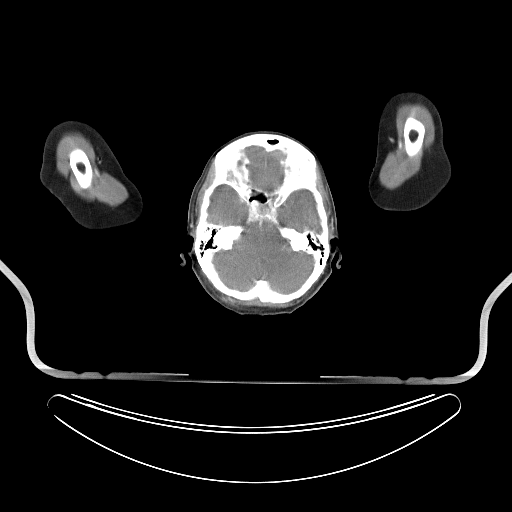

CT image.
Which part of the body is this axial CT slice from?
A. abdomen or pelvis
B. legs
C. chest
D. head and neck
D. head and neck
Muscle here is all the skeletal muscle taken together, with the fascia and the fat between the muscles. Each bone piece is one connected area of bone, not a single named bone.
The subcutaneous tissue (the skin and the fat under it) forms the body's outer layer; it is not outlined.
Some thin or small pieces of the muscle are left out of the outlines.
{"bones":[{"outer":[[253,133],[273,133],[292,138],[308,148],[315,156],[317,162],[317,171],[319,174],[319,179],[317,181],[317,188],[322,196],[323,205],[328,219],[327,225],[330,251],[323,272],[317,280],[302,295],[286,302],[276,303],[262,302],[257,298],[249,300],[242,300],[222,293],[212,284],[202,271],[193,249],[193,242],[196,224],[199,216],[200,205],[203,194],[212,178],[212,162],[215,154],[221,148],[233,140]],"holes":[[[223,185],[231,188],[247,206],[247,224],[257,223],[260,228],[264,222],[270,222],[292,251],[311,256],[311,270],[296,288],[279,291],[268,280],[259,278],[248,288],[239,289],[222,279],[214,256],[231,250],[246,229],[242,224],[208,220],[211,197]],[[299,190],[307,190],[311,194],[313,198],[315,206],[315,211],[318,218],[318,222],[320,227],[319,231],[315,231],[314,229],[310,228],[306,228],[301,231],[299,231],[291,226],[282,225],[278,219],[278,208],[285,203],[286,200],[292,193]],[[248,147],[259,147],[262,148],[268,153],[279,152],[284,155],[283,157],[281,157],[278,160],[278,163],[281,168],[282,173],[281,181],[272,189],[266,189],[259,185],[256,185],[250,178],[250,169],[248,167],[248,165],[251,161],[245,151],[246,148]]]},[[410,115],[413,116],[422,122],[424,125],[424,128],[425,129],[424,135],[423,136],[423,141],[422,142],[421,150],[419,153],[413,157],[410,157],[408,156],[406,153],[406,151],[404,147],[404,137],[403,136],[403,130],[404,129],[405,120],[406,118]],[[75,148],[80,148],[84,151],[89,160],[89,162],[91,166],[91,169],[92,170],[92,180],[91,181],[91,185],[90,187],[86,188],[85,189],[84,188],[80,187],[78,184],[77,180],[71,169],[71,167],[69,163],[69,157],[68,156],[68,154]]],"muscle":[{"outer":[[417,101],[423,103],[432,114],[435,125],[434,144],[431,148],[431,150],[429,152],[425,153],[419,172],[408,179],[399,187],[393,190],[389,190],[383,187],[379,183],[378,174],[388,150],[388,136],[392,133],[392,128],[394,127],[396,108],[400,103]],"hole":[[410,115],[413,116],[422,122],[424,125],[424,128],[425,129],[424,135],[423,136],[423,141],[422,142],[421,150],[419,153],[413,157],[410,157],[408,156],[406,153],[406,151],[404,147],[404,137],[403,136],[403,130],[404,129],[405,120],[406,118]]},{"outer":[[68,131],[78,131],[82,133],[90,140],[95,147],[99,149],[103,167],[110,174],[119,180],[126,187],[129,193],[129,197],[123,203],[112,207],[96,200],[88,201],[83,199],[72,190],[69,182],[57,172],[55,167],[55,146],[60,136],[64,132]],"hole":[[75,148],[80,148],[84,151],[89,160],[89,162],[91,166],[91,169],[92,170],[92,180],[91,181],[91,185],[90,187],[86,188],[85,189],[84,188],[80,187],[78,184],[77,180],[71,169],[71,167],[69,163],[69,157],[68,156],[68,154]]},[[200,268],[207,279],[219,292],[242,301],[249,301],[257,299],[262,303],[272,303],[273,304],[286,303],[302,296],[317,281],[308,293],[299,302],[292,305],[288,309],[265,311],[264,312],[250,312],[242,308],[230,305],[221,300],[206,282],[201,273]],[[211,162],[211,178],[208,185],[205,188],[202,194],[201,201],[199,205],[198,216],[197,217],[196,223],[195,224],[194,235],[193,235],[191,231],[192,210],[195,203],[195,199],[196,198],[197,191],[201,183],[203,181],[203,179],[206,174],[206,172]],[[318,165],[323,180],[323,183],[326,188],[328,194],[328,197],[330,201],[332,223],[333,224],[333,234],[332,237],[330,239],[329,237],[329,226],[328,225],[328,221],[329,219],[324,205],[323,196],[318,188],[318,181],[320,179],[320,174],[318,171]]],"brain":[[[223,185],[231,188],[247,206],[247,224],[257,223],[260,228],[264,222],[270,222],[292,251],[311,256],[311,270],[296,288],[279,291],[268,280],[259,278],[248,288],[239,289],[222,279],[214,256],[231,250],[246,229],[242,224],[208,220],[211,197]],[[299,190],[307,190],[311,194],[313,198],[315,206],[315,211],[318,218],[318,222],[320,227],[319,231],[315,231],[314,229],[310,228],[306,228],[301,231],[299,231],[291,226],[282,225],[278,219],[278,208],[285,203],[286,200],[292,193]],[[248,147],[259,147],[262,148],[268,153],[279,152],[284,155],[283,157],[281,157],[278,160],[278,163],[281,168],[282,173],[281,181],[272,189],[266,189],[259,185],[256,185],[250,178],[250,169],[248,167],[248,165],[251,161],[245,151],[246,148]]],"left_arm":[[[407,90],[421,92],[429,97],[435,104],[441,118],[443,126],[443,143],[451,164],[452,172],[450,180],[447,185],[427,205],[416,210],[399,212],[379,208],[373,203],[368,192],[368,178],[375,162],[378,122],[382,109],[388,99],[392,95],[398,92]]],"head":[[[258,129],[285,132],[316,154],[325,171],[337,217],[340,268],[336,267],[336,254],[331,274],[323,285],[302,306],[288,314],[235,313],[205,291],[186,253],[185,264],[180,264],[181,251],[192,247],[192,239],[186,237],[188,203],[206,161],[234,136]]],"right_arm":[[[71,118],[80,119],[88,122],[100,132],[114,153],[124,173],[139,190],[142,197],[143,207],[140,216],[135,221],[108,230],[85,229],[74,221],[62,204],[41,184],[39,179],[39,172],[42,163],[43,147],[46,136],[54,125],[60,121]]]}